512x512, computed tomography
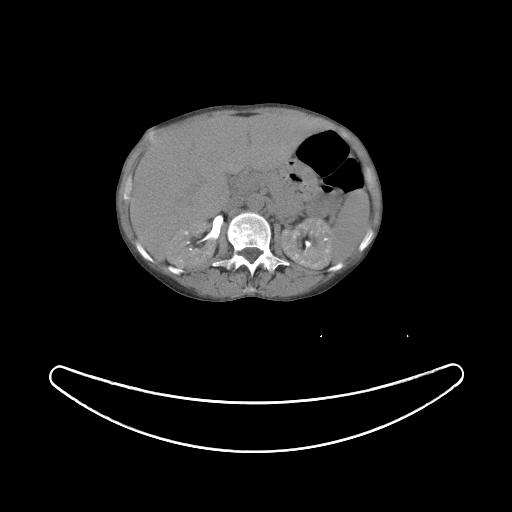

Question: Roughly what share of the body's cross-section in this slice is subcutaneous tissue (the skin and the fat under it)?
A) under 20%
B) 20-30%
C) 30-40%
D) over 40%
Answer: A) under 20%
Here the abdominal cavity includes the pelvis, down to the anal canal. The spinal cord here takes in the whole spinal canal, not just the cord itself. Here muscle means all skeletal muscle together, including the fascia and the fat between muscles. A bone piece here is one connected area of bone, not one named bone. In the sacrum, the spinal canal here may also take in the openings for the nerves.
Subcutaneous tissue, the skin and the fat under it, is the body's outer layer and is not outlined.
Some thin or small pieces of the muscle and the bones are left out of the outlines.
Outlined structures:
abdominal cavity: (240, 113) (306, 119) (350, 144) (363, 167) (371, 217) (347, 257) (321, 270) (296, 265) (282, 251) (280, 225) (274, 223) (272, 233) (268, 220) (250, 210) (233, 216) (226, 230) (221, 223) (217, 251) (199, 267) (184, 270) (146, 250) (128, 212) (140, 156) (158, 136)
muscle 1: (224, 222) (226, 239) (232, 247) (232, 253) (227, 258) (214, 260) (211, 265) (227, 270) (243, 266) (251, 277) (259, 266) (273, 274) (279, 266) (289, 266) (291, 263) (307, 270) (336, 272) (343, 267) (342, 261) (356, 249) (363, 252) (351, 265) (328, 281) (301, 294) (285, 297) (266, 296) (256, 292) (233, 297) (200, 295) (160, 273) (144, 260) (151, 263) (155, 260) (164, 262) (167, 264) (166, 269) (175, 275) (199, 268) (217, 253) (220, 229)
muscle 2: (258, 107) (283, 107) (295, 109) (314, 116) (321, 117) (344, 128) (354, 136) (360, 143) (372, 165) (375, 174) (367, 166) (364, 167) (363, 166) (360, 158) (351, 144) (339, 131) (318, 122) (314, 122) (306, 118) (293, 115) (286, 115) (281, 113) (240, 112) (231, 115) (220, 115) (202, 119) (185, 127) (163, 133) (153, 138) (154, 134) (151, 133) (149, 136) (149, 139) (151, 141) (135, 163) (132, 175) (130, 173) (127, 175) (124, 187) (121, 192) (122, 199) (125, 201) (127, 200) (128, 201) (127, 212) (129, 223) (133, 232) (137, 236) (138, 239) (134, 242) (135, 248) (127, 238) (121, 225) (121, 220) (118, 209) (118, 192) (126, 162) (133, 150) (142, 139) (152, 130) (194, 115) (223, 109) (243, 110)
muscle 3: (377, 179) (378, 187) (379, 188) (379, 196) (380, 197) (380, 211) (379, 212) (379, 220) (378, 221) (377, 226) (374, 231) (374, 233) (373, 229) (370, 226) (368, 226) (368, 223) (370, 221) (370, 219) (372, 217) (372, 197) (371, 196) (369, 188) (373, 187) (377, 183)
muscle 4: (274, 224) (278, 224) (279, 225) (279, 227) (280, 228) (280, 235) (281, 236) (281, 251) (282, 252) (282, 253) (285, 258) (282, 258) (281, 257) (279, 257) (277, 255) (274, 254) (273, 253) (273, 252) (271, 250) (271, 240) (272, 239) (272, 236) (274, 233)
bones 1: (246, 211) (258, 213) (267, 220) (272, 234) (270, 250) (279, 258) (287, 260) (290, 263) (289, 265) (279, 265) (273, 273) (270, 273) (259, 265) (252, 276) (243, 265) (236, 269) (212, 265) (214, 261) (227, 259) (232, 255) (233, 247) (227, 239) (228, 224) (233, 217), around a hole outlined by (246, 248) (256, 248) (257, 249) (258, 249) (260, 251) (260, 253) (258, 255) (258, 256) (253, 261) (249, 261) (246, 258) (245, 258) (240, 253) (241, 252) (241, 251) (242, 250) (243, 250) (244, 249) (245, 249)
bones 2: (368, 227) (370, 227) (372, 229) (372, 230) (373, 231) (373, 238) (372, 239) (372, 240) (370, 242) (370, 243) (362, 251) (360, 251) (358, 249) (358, 247) (359, 246) (359, 244) (360, 243) (360, 242) (362, 240) (362, 239) (363, 238) (363, 237) (366, 232) (366, 230)
bones 3: (138, 240) (141, 243) (141, 244) (143, 246) (143, 247) (145, 249) (145, 250) (151, 256) (151, 257) (154, 260) (154, 261) (153, 262) (151, 262) (150, 261) (148, 261) (147, 260) (144, 259) (139, 254) (139, 253) (138, 252) (138, 251) (135, 246) (135, 242)
bones 4: (365, 167) (367, 167) (372, 172) (372, 173) (374, 175) (375, 175) (375, 176) (376, 177) (376, 183) (373, 186) (372, 186) (371, 187) (369, 187) (368, 186) (368, 184) (367, 183) (367, 182) (366, 181) (366, 178) (365, 177) (365, 171) (364, 170) (364, 168)
bones 5: (130, 174) (132, 177) (132, 179) (131, 180) (131, 189) (128, 194) (128, 196) (129, 197) (128, 199) (125, 200) (123, 199) (122, 197) (122, 192) (125, 187) (125, 184) (126, 183) (126, 180) (127, 179) (127, 177) (128, 175)
bones 6: (338, 261) (341, 261) (343, 263) (343, 265) (342, 266) (342, 267) (340, 269) (339, 269) (338, 270) (337, 270) (336, 271) (327, 271) (327, 269) (328, 268) (329, 268) (331, 266) (332, 266) (334, 264) (335, 264)
torso: (269, 101) (295, 104) (323, 113) (343, 123) (359, 136) (373, 159) (382, 186) (383, 219) (377, 239) (367, 257) (358, 267) (330, 289) (312, 297) (287, 302) (257, 297) (208, 302) (181, 295) (142, 268) (119, 233) (114, 192) (124, 157) (144, 130) (178, 114) (212, 105)
spinal cord: (246, 248) (256, 248) (257, 249) (258, 249) (260, 251) (260, 253) (258, 255) (258, 256) (253, 261) (249, 261) (246, 258) (245, 258) (240, 253) (241, 252) (241, 251) (242, 250) (243, 250) (244, 249) (245, 249)